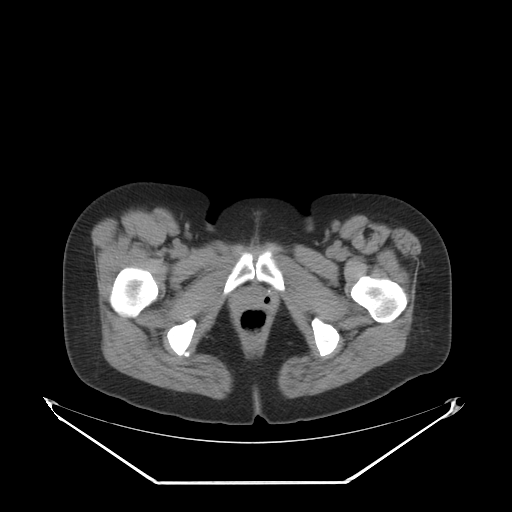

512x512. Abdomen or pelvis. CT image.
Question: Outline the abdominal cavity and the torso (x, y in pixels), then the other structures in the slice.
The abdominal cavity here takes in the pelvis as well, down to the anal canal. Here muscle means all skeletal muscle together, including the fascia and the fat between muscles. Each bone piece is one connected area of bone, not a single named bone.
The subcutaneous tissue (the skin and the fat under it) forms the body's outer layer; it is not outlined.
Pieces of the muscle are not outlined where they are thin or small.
Answer: {"abdominal_cavity":[[[252,280],[263,282],[271,286],[273,288],[273,291],[275,293],[275,298],[277,301],[272,317],[266,328],[263,341],[259,349],[255,353],[250,353],[246,349],[242,335],[235,321],[235,318],[230,304],[230,301],[236,292],[236,288],[240,285]]],"torso":[[[136,180],[205,192],[210,221],[228,203],[256,195],[282,197],[301,210],[332,192],[383,193],[410,203],[436,227],[450,260],[452,340],[446,360],[364,405],[283,424],[258,415],[250,425],[191,421],[86,385],[73,371],[64,344],[65,242],[88,203]]],"bones":[[[364,275],[368,275],[375,278],[388,278],[396,282],[403,288],[404,291],[406,293],[408,301],[404,310],[392,321],[390,322],[386,322],[385,323],[377,322],[372,318],[368,311],[364,307],[361,306],[352,299],[350,295],[350,290],[357,280],[361,276]],[[125,267],[136,267],[137,268],[141,268],[142,269],[147,270],[152,275],[158,286],[158,297],[157,299],[149,305],[146,306],[137,316],[133,318],[125,317],[118,314],[114,311],[108,301],[108,298],[113,285],[114,279],[116,277],[119,271]],[[267,249],[270,249],[275,263],[282,273],[285,289],[283,291],[279,291],[272,287],[268,283],[263,281],[259,281],[255,278],[240,284],[232,291],[226,295],[224,295],[223,288],[226,279],[241,254],[245,251],[249,252],[252,254],[255,260],[259,254]],[[316,316],[318,317],[322,321],[331,324],[338,331],[339,335],[340,336],[339,340],[338,341],[338,343],[334,350],[331,353],[325,356],[320,356],[319,352],[314,342],[314,336],[313,335],[313,330],[311,326],[311,321],[313,319],[313,318]],[[190,318],[194,319],[196,322],[196,326],[192,336],[192,339],[191,340],[190,345],[188,348],[188,350],[190,354],[188,356],[185,356],[184,355],[178,355],[170,347],[169,345],[169,343],[167,339],[167,332],[172,326],[176,324],[182,323]]],"muscle":[{"outer":[[154,206],[169,209],[193,244],[213,240],[241,244],[275,241],[299,243],[321,252],[333,240],[341,222],[353,214],[406,226],[419,239],[422,254],[405,351],[351,382],[315,395],[284,398],[277,389],[278,371],[286,359],[308,350],[285,304],[281,301],[262,355],[253,359],[245,357],[224,304],[197,347],[217,356],[231,371],[233,390],[226,399],[159,387],[119,372],[104,359],[100,348],[91,230],[103,218],[127,207]],"holes":[[[267,249],[270,249],[275,263],[282,273],[285,289],[283,291],[273,289],[277,301],[272,317],[266,328],[259,349],[255,353],[250,353],[246,349],[230,304],[236,289],[224,295],[223,288],[228,275],[243,252],[246,251],[251,253],[255,260],[259,254]],[[364,275],[368,275],[375,278],[388,278],[396,282],[403,288],[404,291],[406,293],[408,301],[404,310],[392,321],[390,322],[386,322],[385,323],[377,322],[372,318],[368,311],[364,307],[361,306],[352,299],[350,295],[350,290],[357,280],[361,276]],[[125,267],[136,267],[137,268],[141,268],[142,269],[147,270],[152,275],[158,286],[158,297],[157,299],[149,305],[146,306],[137,316],[133,318],[125,317],[118,314],[114,311],[108,301],[108,298],[113,285],[114,279],[116,277],[119,271]],[[316,316],[318,317],[322,321],[331,324],[338,331],[339,335],[340,336],[339,340],[338,341],[338,343],[334,350],[331,353],[325,356],[320,356],[319,352],[314,342],[314,336],[313,335],[313,330],[311,326],[311,321],[313,319],[313,318]],[[190,318],[194,319],[196,322],[196,326],[192,336],[192,339],[191,340],[190,345],[188,348],[188,350],[190,354],[188,356],[185,356],[184,355],[178,355],[170,347],[169,345],[169,343],[167,339],[167,332],[172,326],[176,324],[182,323]]]}]}